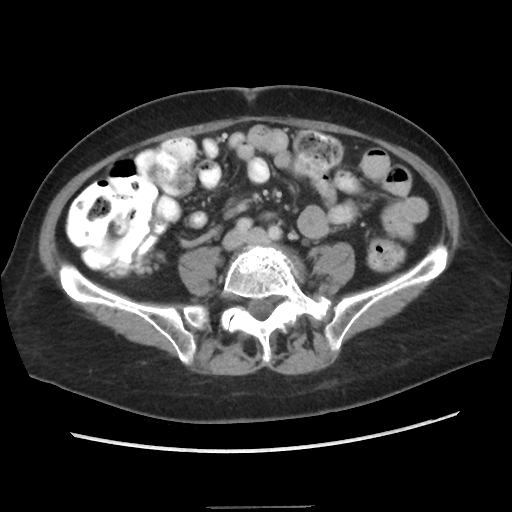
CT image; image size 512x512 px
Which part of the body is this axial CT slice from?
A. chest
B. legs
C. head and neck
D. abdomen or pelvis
Answer: D. abdomen or pelvis
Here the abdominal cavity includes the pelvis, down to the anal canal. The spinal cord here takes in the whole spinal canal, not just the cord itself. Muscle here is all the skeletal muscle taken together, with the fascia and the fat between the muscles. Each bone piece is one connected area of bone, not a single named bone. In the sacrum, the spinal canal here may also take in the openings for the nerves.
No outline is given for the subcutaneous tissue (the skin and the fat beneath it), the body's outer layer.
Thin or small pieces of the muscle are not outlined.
Outlines:
torso: (274, 84) (324, 87) (378, 103) (423, 128) (452, 157) (488, 216) (511, 241) (507, 303) (491, 356) (358, 407) (303, 418) (233, 424) (190, 424) (147, 417) (31, 377) (12, 335) (4, 303) (1, 273) (27, 208) (53, 165) (90, 131) (112, 117) (152, 99) (194, 89)
spinal cord: (271, 296) (276, 296) (278, 298) (279, 302) (275, 306) (275, 307) (271, 311) (269, 315) (265, 319) (261, 320) (260, 319) (256, 318) (253, 315) (252, 315) (246, 309) (245, 307) (245, 305) (244, 304) (246, 303) (246, 300) (247, 299) (261, 299) (262, 298) (267, 298)
abdominal cavity: (249, 121) (359, 137) (407, 162) (442, 221) (410, 267) (338, 294) (354, 249) (316, 245) (306, 257) (319, 281) (306, 294) (291, 257) (260, 244) (230, 262) (221, 290) (226, 256) (202, 245) (177, 259) (193, 296) (165, 302) (102, 284) (60, 252) (66, 203) (106, 165)
muscle 1: (334, 242) (347, 242) (355, 256) (353, 275) (337, 292) (338, 295) (374, 286) (410, 268) (378, 286) (344, 295) (332, 307) (333, 315) (324, 326) (323, 334) (329, 349) (333, 352) (340, 349) (351, 326) (372, 305) (402, 289) (428, 282) (439, 276) (401, 312) (382, 324) (361, 331) (352, 337) (331, 365) (318, 371) (297, 375) (282, 374) (267, 367) (245, 375) (208, 375) (192, 372) (186, 366) (194, 361) (197, 345) (194, 335) (186, 328) (185, 322) (198, 330) (203, 330) (210, 322) (211, 313) (207, 306) (201, 303) (186, 304) (181, 308) (181, 313) (173, 305) (144, 304) (98, 285) (78, 268) (94, 281) (138, 301) (188, 302) (194, 295) (180, 278) (179, 257) (185, 252) (202, 246) (218, 247) (225, 258) (216, 271) (217, 284) (220, 290) (231, 298) (220, 311) (219, 324) (223, 330) (231, 334) (241, 331) (256, 338) (261, 346) (261, 359) (267, 363) (272, 357) (270, 336) (275, 330) (279, 329) (286, 333) (286, 325) (293, 325) (298, 317) (304, 314) (321, 320) (332, 306) (332, 301) (322, 294) (316, 298) (308, 295) (318, 289) (320, 281) (311, 270) (307, 256) (316, 246)
muscle 2: (262, 115) (306, 118) (342, 125) (399, 145) (416, 154) (430, 165) (449, 186) (455, 198) (460, 221) (456, 251) (449, 267) (443, 273) (447, 267) (449, 250) (442, 240) (435, 243) (443, 228) (442, 212) (438, 198) (430, 185) (407, 161) (385, 147) (359, 136) (265, 120) (249, 120) (238, 122) (213, 131) (150, 143) (120, 155) (85, 180) (65, 203) (55, 226) (55, 240) (57, 248) (62, 255) (72, 262) (66, 260) (63, 261) (57, 271) (59, 283) (64, 292) (76, 302) (104, 305) (137, 315) (169, 341) (175, 350) (178, 359) (174, 355) (161, 349) (126, 339) (121, 334) (98, 323) (83, 309) (66, 297) (44, 269) (40, 261) (38, 240) (40, 229) (50, 203) (70, 179) (106, 156) (126, 146) (166, 131) (218, 119)
bones 1: (260, 245) (290, 257) (297, 283) (306, 295) (313, 299) (322, 295) (332, 303) (321, 319) (304, 313) (285, 325) (286, 332) (275, 329) (269, 336) (271, 357) (267, 362) (256, 337) (241, 330) (231, 333) (220, 324) (221, 311) (232, 300) (222, 290) (231, 262) (246, 249); inner edge: (271, 296) (276, 296) (278, 298) (279, 302) (275, 306) (275, 307) (271, 311) (269, 315) (265, 319) (261, 320) (260, 319) (256, 318) (253, 315) (252, 315) (246, 309) (245, 307) (245, 305) (244, 304) (246, 303) (246, 300) (247, 299) (261, 299) (262, 298) (267, 298)
bones 2: (65, 261) (74, 264) (98, 286) (134, 302) (150, 306) (173, 306) (181, 314) (186, 305) (201, 304) (207, 307) (209, 322) (203, 329) (184, 322) (196, 345) (193, 361) (189, 365) (182, 363) (170, 341) (137, 314) (104, 304) (76, 301) (70, 297) (62, 288) (58, 273)
bones 3: (440, 241) (442, 241) (447, 247) (448, 257) (446, 267) (439, 275) (428, 281) (402, 288) (372, 304) (350, 326) (342, 339) (339, 349) (335, 351) (330, 349) (324, 334) (324, 328) (334, 315) (333, 307) (344, 296) (349, 296) (373, 289) (397, 278) (412, 268) (435, 244)